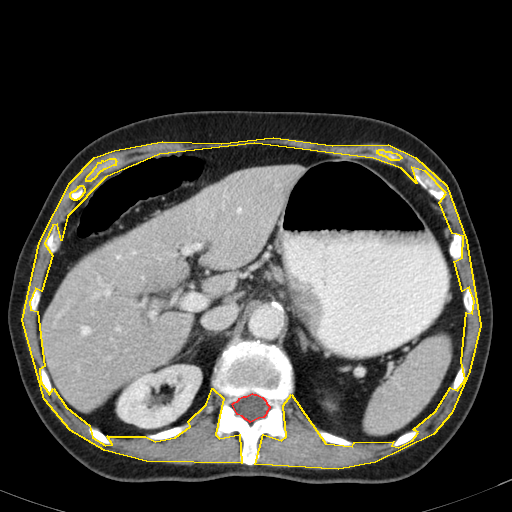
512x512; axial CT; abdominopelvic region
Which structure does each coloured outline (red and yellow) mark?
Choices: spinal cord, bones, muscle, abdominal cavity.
red: spinal cord; yellow: muscle.
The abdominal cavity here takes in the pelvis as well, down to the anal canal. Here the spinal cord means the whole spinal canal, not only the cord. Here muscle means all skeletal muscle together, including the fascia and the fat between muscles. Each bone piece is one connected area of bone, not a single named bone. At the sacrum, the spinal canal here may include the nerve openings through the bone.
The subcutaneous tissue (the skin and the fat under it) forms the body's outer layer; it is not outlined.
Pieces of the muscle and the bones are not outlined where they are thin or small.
{"spinal_cord":[[[252,393],[254,394],[256,394],[262,397],[265,400],[266,403],[269,406],[269,408],[266,412],[265,415],[263,417],[258,418],[250,422],[246,419],[245,419],[242,416],[237,414],[232,404],[234,402],[237,401],[239,399],[239,398],[243,396],[246,396]]],"muscle":[{"outer":[[273,137],[332,145],[388,144],[415,157],[446,185],[466,240],[480,325],[469,371],[451,413],[433,434],[375,462],[338,469],[255,464],[263,434],[281,440],[286,436],[283,405],[291,394],[325,443],[352,446],[354,442],[393,441],[391,445],[398,447],[412,440],[418,432],[413,429],[435,411],[450,387],[457,390],[465,379],[461,361],[466,312],[472,313],[474,301],[469,287],[462,291],[454,261],[462,257],[463,236],[452,233],[439,202],[446,193],[425,171],[411,167],[416,183],[401,168],[373,158],[254,143],[159,154],[105,177],[67,216],[61,240],[57,224],[52,225],[44,243],[52,255],[41,291],[35,288],[29,302],[30,309],[37,311],[44,366],[39,369],[40,381],[49,394],[53,388],[66,407],[89,425],[92,437],[105,445],[112,444],[107,436],[145,436],[155,441],[175,437],[190,426],[188,421],[206,404],[212,388],[223,398],[215,434],[219,438],[239,434],[241,463],[146,461],[104,450],[70,430],[44,399],[22,320],[39,242],[70,182],[94,157],[114,150],[162,141],[221,143]],"holes":[[[109,158],[114,158],[115,159],[116,161],[115,162],[115,165],[113,165],[105,169],[103,169],[101,171],[100,171],[93,179],[92,179],[90,181],[86,181],[86,178],[87,176],[93,170],[93,169],[96,166],[98,162],[101,162],[102,160],[103,161]],[[379,149],[382,149],[385,151],[390,151],[391,152],[396,153],[397,154],[398,154],[401,157],[401,158],[398,160],[391,160],[390,159],[389,159],[387,157],[386,157],[385,156],[383,156],[382,155],[380,155],[378,153],[377,153],[377,150],[378,150]],[[80,185],[82,185],[83,186],[83,187],[84,188],[84,192],[82,194],[82,195],[78,199],[77,199],[76,200],[74,200],[73,199],[72,199],[70,197],[70,193],[72,191],[73,191],[74,190],[75,190],[78,187],[78,186],[79,186]]]}],"abdominal_cavity":[[[254,144],[387,163],[447,216],[448,253],[466,315],[460,365],[434,411],[393,440],[353,441],[318,427],[295,401],[288,355],[257,339],[227,344],[207,400],[189,420],[142,436],[106,435],[53,387],[39,345],[38,307],[63,224],[78,203],[135,162]]],"bones":[{"outer":[[241,340],[257,340],[277,346],[287,355],[293,370],[293,392],[282,405],[285,436],[281,439],[263,433],[257,441],[259,458],[253,465],[240,462],[243,441],[237,431],[217,436],[217,418],[224,398],[210,383],[214,366],[223,350],[228,344],[235,344]],"hole":[[252,393],[254,394],[256,394],[262,397],[265,400],[266,403],[269,406],[269,408],[266,412],[265,415],[263,417],[258,418],[250,422],[246,419],[245,419],[242,416],[237,414],[232,404],[234,402],[237,401],[239,399],[239,398],[243,396],[246,396]]},[[413,166],[416,166],[422,171],[425,172],[425,173],[430,177],[434,179],[437,183],[439,188],[443,190],[445,193],[445,197],[442,201],[439,201],[435,199],[426,189],[422,187],[422,186],[418,183],[417,181],[416,181],[415,178],[412,175],[412,167]],[[187,422],[189,422],[190,423],[189,426],[182,433],[180,433],[175,436],[169,437],[165,439],[159,439],[158,440],[155,440],[154,439],[148,439],[145,437],[149,434],[153,434],[163,430],[166,430],[176,426],[179,426]],[[316,429],[323,430],[331,434],[333,434],[337,436],[340,436],[343,438],[345,438],[348,440],[350,440],[353,442],[353,444],[352,445],[341,445],[340,444],[337,444],[336,443],[331,443],[330,442],[325,442],[317,434],[316,434],[315,432],[315,430]],[[109,158],[114,158],[115,159],[116,161],[115,162],[115,165],[113,165],[105,169],[103,169],[101,171],[100,171],[93,179],[92,179],[90,181],[86,181],[86,178],[87,176],[93,170],[93,169],[96,166],[98,162],[101,162],[102,160],[103,161]],[[89,426],[91,426],[94,428],[96,428],[98,429],[101,432],[102,432],[108,438],[108,439],[110,440],[111,442],[111,444],[105,444],[99,441],[93,436],[92,436],[90,434],[88,430],[88,428]]],"torso":[[[202,110],[309,111],[380,119],[422,140],[456,178],[489,279],[491,344],[479,390],[464,421],[445,446],[412,475],[386,483],[305,483],[271,476],[118,481],[79,462],[36,413],[20,378],[7,309],[19,253],[54,182],[82,148],[113,129],[153,116]]]}